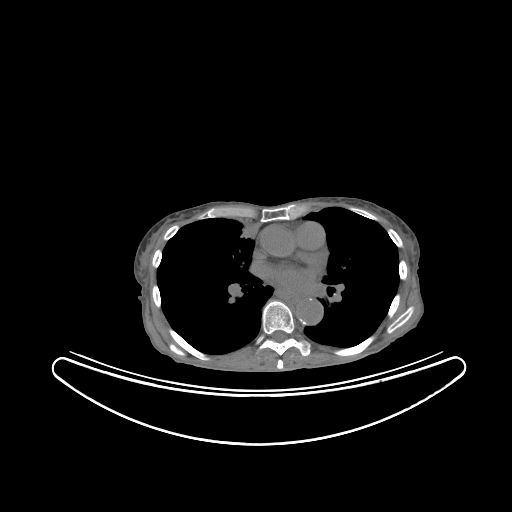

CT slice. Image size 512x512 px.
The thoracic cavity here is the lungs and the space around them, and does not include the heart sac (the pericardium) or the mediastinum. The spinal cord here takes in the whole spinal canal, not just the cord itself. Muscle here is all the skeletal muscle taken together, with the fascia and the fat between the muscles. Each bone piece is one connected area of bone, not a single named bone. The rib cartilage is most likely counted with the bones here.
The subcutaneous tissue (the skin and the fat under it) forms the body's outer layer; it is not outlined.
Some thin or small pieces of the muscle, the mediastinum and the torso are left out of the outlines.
The pericardium is outlined by (299, 218) (303, 219) (304, 221) (309, 220) (317, 222) (323, 227) (325, 231) (325, 241) (328, 251) (325, 262) (325, 272) (320, 281) (310, 289) (277, 288) (272, 285) (267, 285) (260, 277) (253, 274) (252, 260) (255, 247) (255, 239) (268, 224) (276, 221) (293, 221). The thoracic cavity appears in 2 outlined pieces: piece 1: (211, 218) (245, 218) (264, 223) (258, 229) (254, 238) (248, 271) (259, 278) (263, 286) (272, 288) (270, 296) (261, 307) (260, 330) (254, 340) (233, 351) (218, 354) (205, 353) (199, 350) (171, 326) (162, 309) (162, 299) (157, 284) (157, 269) (166, 243) (183, 226); piece 2: (326, 207) (344, 208) (377, 222) (386, 231) (398, 252) (399, 281) (386, 315) (372, 334) (357, 344) (346, 347) (314, 342) (298, 330) (302, 332) (305, 327) (316, 327) (324, 317) (321, 300) (326, 286) (322, 279) (328, 273) (330, 254) (326, 230) (320, 222) (304, 217). The torso is outlined by (322, 195) (375, 202) (397, 214) (413, 230) (420, 245) (418, 274) (425, 304) (423, 316) (414, 329) (355, 363) (279, 375) (216, 373) (176, 363) (152, 347) (142, 325) (137, 298) (140, 286) (132, 264) (138, 243) (155, 222) (171, 212) (215, 200) (274, 205). The muscle appears in 2 outlined pieces: piece 1: (206, 209) (198, 214) (195, 218) (196, 220) (194, 221) (181, 227) (176, 223) (168, 227) (162, 236) (162, 239) (166, 242) (165, 245) (162, 250) (157, 248) (151, 258) (151, 265) (156, 269) (156, 283) (151, 288) (152, 300) (157, 308) (161, 308) (170, 325) (167, 331) (178, 346) (174, 343) (170, 343) (168, 347) (178, 356) (183, 357) (185, 352) (187, 352) (202, 361) (209, 361) (211, 357) (208, 354) (226, 354) (243, 348) (253, 342) (259, 351) (268, 348) (278, 355) (279, 357) (276, 361) (276, 370) (238, 370) (218, 368) (182, 360) (161, 350) (154, 343) (147, 329) (145, 323) (145, 296) (147, 291) (143, 276) (140, 274) (140, 260) (142, 254) (150, 242) (153, 234) (166, 222) (180, 218) (187, 218) (198, 211); piece 2: (355, 206) (366, 207) (383, 215) (398, 226) (412, 242) (414, 259) (411, 262) (411, 268) (413, 270) (416, 281) (417, 293) (420, 304) (419, 312) (416, 318) (408, 327) (383, 344) (356, 358) (337, 363) (328, 363) (314, 366) (301, 366) (284, 369) (284, 362) (281, 356) (291, 347) (296, 348) (302, 356) (308, 356) (312, 348) (312, 343) (310, 341) (317, 344) (337, 348) (332, 351) (337, 356) (353, 356) (363, 352) (375, 339) (376, 336) (374, 332) (384, 318) (386, 316) (391, 319) (400, 304) (401, 296) (397, 292) (399, 282) (400, 280) (404, 281) (408, 276) (407, 264) (404, 259) (399, 258) (398, 249) (404, 246) (403, 241) (399, 234) (393, 228) (388, 227) (385, 229) (378, 222) (379, 218) (375, 214) (364, 208); inner edge: (410, 306) (413, 306) (414, 308) (413, 309) (413, 312) (411, 316) (409, 318) (409, 319) (402, 325) (401, 325) (399, 327) (395, 329) (392, 332) (390, 333) (388, 333) (386, 331) (386, 329) (387, 327) (397, 317) (398, 317) (403, 312) (404, 312) (407, 309) (407, 308). The mediastinum appears in 2 outlined pieces: piece 1: (321, 280) (321, 282) (325, 286) (321, 291) (323, 294) (323, 298) (320, 300) (323, 306) (323, 317) (316, 326) (308, 325) (305, 326) (301, 331) (296, 327) (292, 310) (283, 301) (279, 299) (267, 300) (271, 296) (273, 291) (273, 288) (271, 286) (277, 289) (310, 290); piece 2: (272, 221) (275, 221) (274, 221) (273, 222) (272, 222) (271, 223) (268, 223) (267, 224) (266, 224) (264, 226) (264, 227) (263, 228) (263, 229) (262, 229) (259, 232) (259, 233) (258, 233) (258, 231) (259, 230) (259, 229) (265, 223) (267, 223) (268, 222) (271, 222). The spinal cord is outlined by (277, 330) (281, 330) (282, 331) (283, 331) (284, 332) (285, 332) (287, 334) (287, 335) (288, 336) (284, 340) (283, 340) (282, 341) (276, 341) (275, 340) (274, 340) (273, 339) (272, 339) (271, 338) (271, 335) (275, 331) (276, 331). The bones appear in 12 outlined pieces: piece 1: (269, 300) (279, 300) (291, 310) (295, 327) (301, 336) (311, 343) (308, 355) (302, 355) (294, 346) (289, 347) (280, 356) (283, 362) (283, 369) (281, 370) (278, 370) (277, 368) (277, 361) (280, 357) (279, 355) (268, 347) (259, 350) (254, 343) (261, 330) (262, 307); inner edge: (277, 330) (281, 330) (282, 331) (283, 331) (284, 332) (285, 332) (287, 334) (287, 335) (288, 336) (284, 340) (283, 340) (282, 341) (276, 341) (275, 340) (274, 340) (273, 339) (272, 339) (271, 338) (271, 335) (275, 331) (276, 331); piece 2: (291, 203) (297, 204) (306, 203) (309, 205) (311, 211) (304, 215) (287, 220) (272, 220) (267, 222) (260, 222) (257, 217) (256, 218) (211, 217) (197, 220) (196, 218) (198, 215) (211, 207) (217, 206) (251, 207) (257, 212) (259, 212) (263, 208) (281, 207); piece 3: (170, 327) (194, 348) (205, 354) (207, 354) (210, 357) (210, 359) (209, 360) (202, 360) (192, 355) (187, 351) (184, 352) (184, 355) (183, 356) (178, 355) (173, 352) (170, 349) (169, 345) (170, 344) (174, 344) (177, 347) (179, 346) (175, 342) (168, 331) (168, 329); piece 4: (373, 334) (375, 336) (374, 339) (371, 342) (371, 343) (363, 351) (359, 353) (357, 353) (353, 355) (347, 355) (346, 356) (342, 356) (341, 355) (337, 355) (333, 352) (334, 350) (338, 348) (346, 348) (347, 347) (351, 347) (352, 346) (355, 346); piece 5: (410, 306) (413, 306) (414, 308) (413, 309) (413, 312) (411, 316) (409, 318) (409, 319) (402, 325) (401, 325) (399, 327) (395, 329) (392, 332) (390, 333) (388, 333) (386, 331) (386, 329) (387, 327) (397, 317) (398, 317) (403, 312) (404, 312) (407, 309) (407, 308); piece 6: (350, 206) (354, 206) (358, 208) (361, 208) (362, 209) (364, 209) (368, 211) (370, 213) (375, 215) (378, 218) (378, 220) (376, 221) (373, 219) (371, 219) (370, 218) (365, 217) (353, 211) (351, 211) (347, 208); piece 7: (396, 293) (398, 293) (400, 296) (400, 298) (399, 299) (399, 304) (398, 305) (398, 306) (397, 307) (394, 314) (392, 316) (392, 317) (391, 318) (389, 318) (387, 316) (387, 313) (388, 312) (389, 307) (391, 304) (391, 302) (392, 301) (394, 296) (396, 294); piece 8: (388, 228) (391, 228) (393, 229) (398, 234) (403, 244) (403, 246) (402, 247) (400, 248) (398, 248) (397, 246) (394, 243) (394, 242) (391, 239) (391, 238) (389, 236) (386, 230) (386, 229); piece 9: (155, 284) (156, 284) (157, 285) (157, 286) (159, 289) (159, 293) (160, 294) (160, 298) (161, 299) (161, 307) (160, 307) (159, 308) (156, 306) (156, 305) (155, 304) (155, 303) (153, 300) (153, 297) (152, 296) (152, 288) (153, 287) (153, 286); piece 10: (400, 259) (402, 259) (403, 260) (404, 260) (404, 261) (405, 262) (405, 263) (406, 264) (406, 266) (407, 267) (407, 276) (406, 277) (406, 278) (404, 280) (401, 280) (399, 278) (399, 260); piece 11: (175, 224) (178, 225) (180, 227) (179, 228) (179, 229) (174, 234) (174, 235) (173, 236) (172, 236) (167, 241) (165, 241) (163, 239) (163, 236) (164, 235) (165, 232) (167, 230) (167, 229) (168, 228) (169, 228) (172, 225) (174, 225); piece 12: (157, 249) (160, 249) (162, 251) (162, 253) (161, 254) (161, 259) (160, 260) (160, 262) (159, 263) (159, 265) (157, 267) (157, 268) (155, 268) (152, 265) (152, 258) (153, 257) (153, 255) (154, 254) (154, 253) (155, 252) (155, 251).